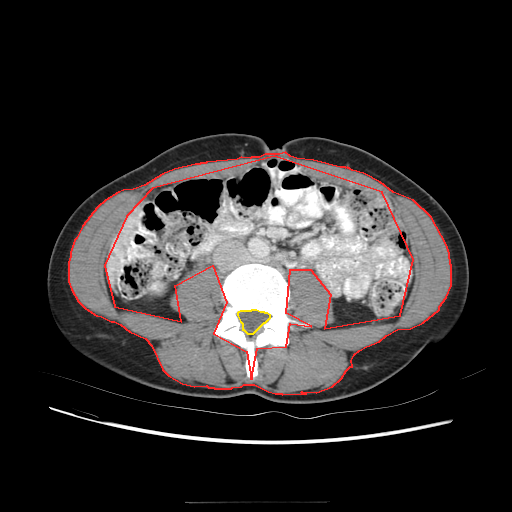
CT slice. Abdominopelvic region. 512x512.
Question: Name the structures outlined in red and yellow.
Answer: red: muscle; yellow: spinal cord.
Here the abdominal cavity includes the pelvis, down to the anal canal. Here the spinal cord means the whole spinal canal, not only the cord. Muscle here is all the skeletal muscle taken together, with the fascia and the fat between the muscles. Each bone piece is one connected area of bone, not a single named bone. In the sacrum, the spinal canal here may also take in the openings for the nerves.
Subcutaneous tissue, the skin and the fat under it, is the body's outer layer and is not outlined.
Outlines:
muscle: 282 394; 306 393; 302 393; 301 392; 302 391; 316 392; 332 386; 341 378; 346 370; 350 366; 352 366; 351 360; 354 354; 359 350; 366 346; 379 341; 386 335; 397 329; 410 328; 423 322; 439 309; 439 306; 446 297; 451 285; 451 265; 450 264; 449 253; 446 244; 431 217; 413 200; 393 192; 380 182; 363 173; 352 170; 347 167; 346 168; 345 167; 340 167; 313 160; 296 158; 290 156; 285 152; 279 154; 265 154; 259 157; 251 157; 250 158; 241 157; 237 159; 206 162; 205 163; 200 163; 199 164; 195 164; 174 169; 162 174; 144 185; 133 189; 123 190; 118 192; 105 200; 97 207; 82 226; 76 238; 74 240; 70 252; 70 256; 68 262; 68 281; 71 289; 78 301; 85 308; 96 315; 101 316; 111 321; 114 321; 120 324; 129 331; 145 338; 151 345; 162 369; 168 375; 182 383; 194 386; 206 385; 208 387; 213 387; 214 388; 231 388; 232 387; 241 386; 244 384; 254 384; 268 391; 275 393; 281 393 with a hole at 251 379; 257 348; 286 346; 290 323; 311 326; 286 313; 290 269; 310 269; 330 294; 324 328; 400 315; 413 259; 382 192; 274 156; 152 188; 126 216; 104 265; 114 306; 181 321; 175 285; 212 265; 226 302; 213 333; 246 351
spinal cord: 247 333; 253 333; 264 322; 265 322; 270 317; 270 315; 267 313; 265 313; 264 312; 260 312; 256 310; 251 310; 250 311; 240 311; 238 312; 237 313; 237 315; 240 321; 242 323; 242 329; 243 329
bones: 251 379; 257 376; 257 348; 267 344; 286 346; 290 323; 311 326; 310 322; 293 319; 286 313; 290 299; 288 283; 279 269; 262 263; 242 264; 224 277; 221 295; 226 302; 221 319; 213 329; 214 335; 229 339; 246 351; 246 375; inner edge: 247 333; 253 333; 264 322; 265 322; 270 317; 270 315; 267 313; 265 313; 264 312; 260 312; 256 310; 251 310; 250 311; 240 311; 238 312; 237 313; 237 315; 240 321; 242 323; 242 329; 243 329
abdominal cavity: 324 328; 395 321; 410 293; 410 242; 400 211; 382 192; 330 182; 274 156; 236 175; 148 190; 108 248; 105 278; 118 310; 181 321; 169 296; 195 264; 212 265; 224 276; 242 263; 262 262; 285 276; 293 268; 318 276; 335 316
torso: 291 404; 334 401; 372 389; 453 329; 467 299; 468 259; 458 229; 436 199; 386 161; 348 143; 302 136; 272 149; 257 135; 224 132; 169 147; 76 207; 53 245; 46 283; 53 319; 72 347; 101 367; 154 389; 203 398; 251 393